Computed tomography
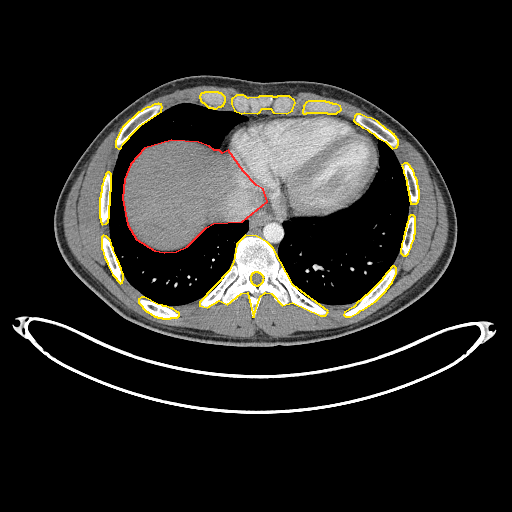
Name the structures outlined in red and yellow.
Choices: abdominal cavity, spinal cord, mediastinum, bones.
red: abdominal cavity; yellow: bones.
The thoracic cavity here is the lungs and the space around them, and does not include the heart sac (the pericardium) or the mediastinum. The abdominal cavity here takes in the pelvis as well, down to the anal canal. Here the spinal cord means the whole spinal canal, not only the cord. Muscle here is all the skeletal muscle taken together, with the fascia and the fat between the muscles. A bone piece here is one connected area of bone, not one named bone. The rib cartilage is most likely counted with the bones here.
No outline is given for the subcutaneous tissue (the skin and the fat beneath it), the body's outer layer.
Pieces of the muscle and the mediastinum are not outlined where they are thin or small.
The abdominal cavity is outlined by 164,252 176,251 187,246 206,227 213,223 242,221 267,201 263,189 256,185 243,171 228,150 222,153 219,150 214,150 209,146 198,142 171,140 144,148 130,164 124,179 122,198 127,224 136,239 154,250. The bones appear in 12 outlined pieces: piece 1: 253,317 260,296 265,292 271,293 282,305 292,302 320,315 325,315 328,311 293,285 273,248 267,242 256,236 245,235 236,244 233,262 228,271 199,302 199,305 207,307 219,300 227,304 241,293 247,292 with a hole at 255,285 258,285 259,284 260,284 263,281 263,279 264,278 263,277 263,276 260,273 259,273 258,272 254,272 253,273 252,273 251,274 251,275 250,276 250,280 251,281 251,282 253,284 254,284; piece 2: 241,113 244,112 257,113 259,112 262,108 270,108 273,112 286,113 292,110 295,102 294,100 289,96 277,96 276,97 273,97 272,96 259,96 258,97 248,98 243,95 236,95 231,99 231,104 234,110; piece 3: 118,148 120,148 121,147 123,143 129,137 129,136 140,125 161,111 161,108 162,107 161,104 159,104 158,103 157,104 154,104 149,107 147,107 143,109 141,111 138,112 123,126 120,130 115,141 115,146; piece 4: 345,316 350,316 358,312 360,310 363,309 375,301 386,290 386,289 392,282 396,273 396,268 394,266 392,266 382,278 382,279 366,295 365,295 359,301 358,301 353,307 344,312 343,314; piece 5: 392,148 396,147 398,144 398,140 394,135 394,134 393,134 390,131 386,129 377,121 371,118 366,117 360,114 356,114 354,116 353,120 356,123 357,123 362,127 367,129 369,131 373,133 377,137 385,141; piece 6: 120,283 122,282 122,280 123,279 123,274 122,273 121,268 119,265 119,263 117,260 117,258 113,250 113,248 112,247 110,240 106,236 103,235 101,237 101,248 102,249 104,257 107,262 107,264 112,274; piece 7: 102,224 106,223 108,221 108,218 109,217 109,205 110,204 110,191 111,190 111,174 109,172 107,172 105,174 105,176 103,179 102,185 101,186 101,192 100,193 100,197 99,198 99,217 100,218 100,221; piece 8: 162,318 170,318 171,317 177,317 179,315 179,313 178,312 177,312 172,308 170,308 166,306 163,306 162,305 157,304 144,297 141,297 138,299 138,302 146,311 147,311 154,316 156,316 157,317 161,317; piece 9: 410,203 416,203 418,201 418,199 419,198 419,190 418,189 417,180 415,177 413,170 407,163 404,163 401,165 402,166 403,172 406,180 406,184 407,185 407,189 408,190 408,194 409,195 409,200 410,201; piece 10: 303,113 306,113 307,112 326,112 327,113 336,113 338,111 339,111 341,109 341,108 340,106 336,104 333,104 332,103 330,103 329,102 326,102 325,101 308,101 306,102 303,106 303,109 302,110 302,112; piece 11: 403,255 406,255 408,253 411,247 411,245 414,238 414,234 415,233 415,217 413,215 410,215 408,217 407,223 406,224 406,227 405,228 405,231 404,232 404,235 403,236 403,239 401,243 400,252; piece 12: 213,108 216,108 219,106 221,106 222,105 223,105 223,104 225,101 225,97 221,93 219,93 218,92 204,92 203,93 201,93 199,96 199,97 200,98 200,100 202,102 203,102 208,107 212,107. The thoracic cavity appears in 2 outlined pieces: piece 1: 334,307 345,307 355,303 366,294 389,269 399,251 408,216 408,195 402,169 393,150 378,138 378,170 368,189 355,203 346,209 325,217 292,218 283,223 285,235 280,243 277,255 289,278 309,298 320,304; piece 2: 173,308 199,301 221,280 248,223 213,224 179,251 154,251 136,240 126,224 125,172 144,147 160,141 187,139 218,149 229,130 246,119 233,110 194,103 168,108 124,143 112,174 110,239 123,273 145,297. The muscle appears in 2 outlined pieces: piece 1: 240,338 263,332 272,337 303,335 355,323 387,304 432,268 447,239 446,206 421,155 393,129 378,121 398,138 399,144 393,149 396,156 401,164 407,162 412,167 419,184 419,201 409,206 409,215 416,217 415,238 406,256 399,252 393,264 397,273 387,290 350,317 342,314 355,304 345,308 321,305 329,313 320,316 292,303 282,306 265,293 253,318 248,294 243,293 227,305 219,301 201,308 194,302 176,307 180,313 177,318 157,318 139,305 137,299 143,296 124,276 121,284 113,277 103,257 100,237 104,234 109,238 109,226 108,222 102,225 99,221 98,198 104,174 112,173 115,165 119,149 114,141 122,126 154,103 161,103 162,111 180,102 205,105 198,97 204,91 221,92 226,101 219,107 225,109 233,109 230,99 236,94 258,96 206,85 159,96 111,132 83,167 63,213 65,237 77,260 122,304 151,321; piece 2: 350,119 352,119 356,113 360,113 375,119 361,109 341,100 325,97 311,92 301,92 295,95 271,95 289,95 293,98 296,104 292,112 301,111 303,104 308,100 325,100 336,103 340,105 342,108 337,113. The pericardium is outlined by 299,217 325,216 345,208 355,202 367,189 377,170 378,153 375,143 371,137 363,130 343,119 333,116 269,116 245,123 230,137 228,142 229,151 255,183 264,189 267,199 270,202 274,213 284,216. The mediastinum appears in 2 outlined pieces: piece 1: 277,253 279,243 284,235 284,230 282,227 282,223 285,220 290,219 292,217 298,217 278,216 273,213 269,202 267,202 261,208 244,220 247,220 249,223 249,228 246,234 248,235 256,235 263,238 274,248; piece 2: 222,152 227,150 229,137 237,128 245,122 269,115 333,115 343,118 363,129 372,137 377,147 377,138 352,120 338,114 303,114 301,112 278,114 270,110 257,114 242,114 247,119 232,128 224,137 219,149. The torso is outlined by 262,347 343,336 396,314 425,294 441,277 455,249 457,219 451,195 420,142 387,112 351,91 321,82 257,82 217,75 168,81 146,92 111,119 72,168 54,210 58,249 69,268 87,287 133,323 191,341. The spinal cord is outlined by 255,285 258,285 259,284 260,284 263,281 263,279 264,278 263,277 263,276 260,273 259,273 258,272 254,272 253,273 252,273 251,274 251,275 250,276 250,280 251,281 251,282 253,284 254,284.